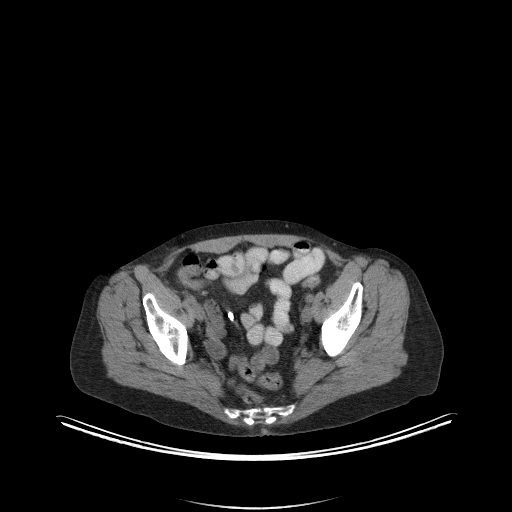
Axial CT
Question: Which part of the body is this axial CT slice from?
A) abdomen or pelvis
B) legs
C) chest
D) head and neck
Answer: A) abdomen or pelvis
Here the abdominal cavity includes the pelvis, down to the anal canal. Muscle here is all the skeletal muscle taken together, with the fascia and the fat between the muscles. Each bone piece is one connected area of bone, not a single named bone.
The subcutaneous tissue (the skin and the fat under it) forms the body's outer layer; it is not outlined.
{"torso":[[[252,219],[299,222],[360,248],[378,247],[387,250],[405,261],[421,283],[443,339],[444,356],[436,390],[399,407],[340,427],[292,435],[259,437],[221,436],[171,427],[82,392],[71,377],[69,351],[83,297],[93,278],[186,230],[208,224]]],"muscle":[[[261,233],[307,236],[346,258],[363,254],[385,259],[402,273],[410,298],[403,341],[408,357],[397,377],[291,423],[269,425],[295,409],[293,402],[287,403],[298,365],[317,356],[320,343],[329,357],[340,354],[363,313],[364,286],[356,280],[338,310],[321,325],[314,321],[315,295],[335,281],[342,267],[305,239],[271,246],[242,241],[220,252],[180,251],[159,277],[191,309],[188,329],[159,305],[152,292],[141,296],[146,326],[158,350],[182,366],[189,342],[193,360],[215,372],[227,390],[226,405],[231,408],[226,406],[223,412],[231,419],[242,416],[242,420],[249,426],[254,425],[256,420],[264,425],[249,428],[233,425],[106,375],[96,310],[112,275],[137,264],[157,263],[187,244]]],"abdominal_cavity":[[[299,240],[315,244],[341,267],[334,281],[312,300],[313,321],[320,326],[317,355],[295,368],[290,399],[285,405],[227,405],[228,390],[220,377],[202,361],[194,360],[188,334],[194,321],[192,309],[160,276],[186,249],[220,253],[242,242],[271,247]]],"bones":[[[148,292],[150,292],[154,295],[158,305],[165,312],[179,320],[185,326],[187,330],[187,334],[188,335],[187,353],[186,354],[185,362],[182,365],[178,365],[173,363],[159,350],[157,344],[148,329],[147,323],[146,322],[146,315],[142,303],[142,296]],[[356,281],[360,282],[363,286],[363,291],[362,292],[362,313],[360,321],[341,352],[335,356],[329,356],[324,350],[320,342],[321,326],[323,324],[324,320],[327,317],[331,316],[335,312],[338,311],[342,305],[345,303],[345,300],[350,292],[352,284]],[[291,403],[295,405],[293,411],[285,416],[277,415],[276,419],[270,424],[264,423],[263,419],[256,419],[254,424],[249,425],[243,420],[242,415],[235,418],[231,418],[224,412],[224,408],[226,407],[230,409],[245,409],[263,406],[285,406]]]}